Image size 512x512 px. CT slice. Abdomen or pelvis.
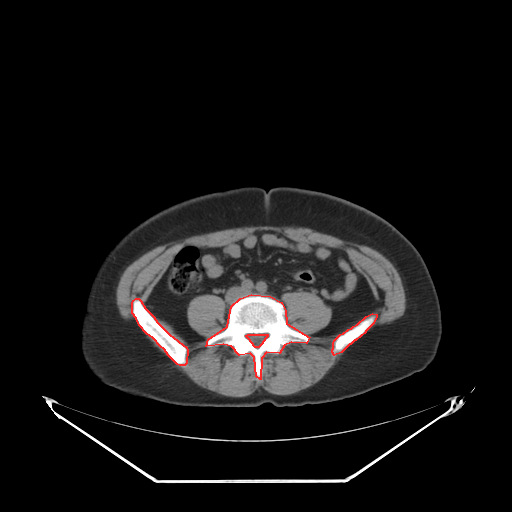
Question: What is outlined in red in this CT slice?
Answer: red: bones.
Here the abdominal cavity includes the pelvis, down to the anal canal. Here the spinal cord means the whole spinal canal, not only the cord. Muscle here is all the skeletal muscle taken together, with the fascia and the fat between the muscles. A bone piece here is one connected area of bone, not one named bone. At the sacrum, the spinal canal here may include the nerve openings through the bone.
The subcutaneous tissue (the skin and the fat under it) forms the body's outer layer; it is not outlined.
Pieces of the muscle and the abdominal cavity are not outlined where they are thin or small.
Outlines (x, y in pixels):
bones 1: (251, 294) (270, 296) (281, 302) (285, 310) (286, 323) (309, 337) (306, 343) (291, 342) (284, 345) (279, 353) (266, 352) (261, 358) (260, 379) (256, 376) (254, 357) (250, 353) (239, 355) (231, 346) (223, 344) (206, 346) (208, 339) (227, 326) (231, 306) (240, 298), around a hole outlined by (248, 334) (267, 334) (267, 336) (264, 339) (264, 340) (262, 342) (262, 343) (258, 347) (255, 347) (253, 345) (253, 344) (250, 341) (250, 340) (246, 336) (246, 335) (247, 335)
bones 2: (136, 298) (138, 298) (140, 300) (145, 308) (153, 316) (157, 322) (169, 334) (186, 347) (187, 349) (186, 363) (184, 365) (179, 365) (177, 364) (168, 355) (164, 349) (160, 346) (153, 338) (146, 333) (139, 325) (136, 318) (132, 313) (132, 302) (133, 300)
bones 3: (372, 313) (376, 314) (376, 317) (372, 324) (365, 331) (365, 332) (355, 340) (354, 340) (350, 344) (349, 344) (341, 352) (334, 355) (332, 352) (332, 349) (333, 348) (333, 342) (334, 340) (340, 334) (343, 333) (348, 329) (351, 328) (353, 326) (357, 324) (366, 316)
muscle 1: (298, 291) (313, 292) (331, 308) (329, 322) (316, 336) (331, 335) (361, 319) (333, 340) (334, 356) (345, 350) (323, 378) (288, 395) (260, 388) (246, 396) (232, 397) (198, 386) (172, 362) (184, 366) (187, 347) (154, 317) (187, 341) (201, 341) (204, 337) (188, 322) (188, 305) (196, 296) (220, 297) (227, 323) (205, 341) (205, 346) (229, 346) (239, 356) (250, 354) (260, 380) (266, 353) (279, 354) (286, 345) (310, 341) (286, 320) (281, 296)
muscle 2: (256, 225) (308, 227) (377, 250) (393, 264) (401, 278) (406, 299) (404, 313) (390, 323) (376, 325) (366, 332) (377, 317) (372, 312) (380, 304) (375, 300) (366, 278) (354, 266) (345, 250) (292, 239) (273, 230) (258, 230) (219, 246) (193, 243) (182, 246) (174, 253) (151, 290) (145, 302) (146, 308) (138, 297) (132, 300) (131, 313) (138, 325) (167, 356) (153, 345) (133, 320) (126, 320) (120, 315) (116, 289) (123, 271) (159, 245) (193, 235)
abdominal cavity: (258, 231) (345, 251) (379, 305) (336, 332) (316, 335) (330, 322) (332, 308) (313, 291) (284, 292) (283, 303) (270, 295) (244, 295) (230, 306) (227, 321) (224, 300) (204, 293) (186, 308) (188, 324) (203, 339) (187, 340) (146, 304) (175, 253) (189, 244) (223, 246)
spinal cord: (248, 334) (267, 334) (267, 336) (264, 339) (264, 340) (262, 342) (262, 343) (258, 347) (255, 347) (253, 345) (253, 344) (250, 341) (250, 340) (246, 336) (246, 335) (247, 335)
torso: (245, 185) (267, 190) (290, 185) (335, 194) (374, 211) (403, 233) (423, 257) (440, 302) (442, 336) (432, 362) (362, 394) (301, 406) (277, 407) (269, 402) (253, 407) (183, 406) (131, 395) (102, 383) (83, 359) (80, 330) (90, 285) (106, 254) (131, 228) (171, 204)